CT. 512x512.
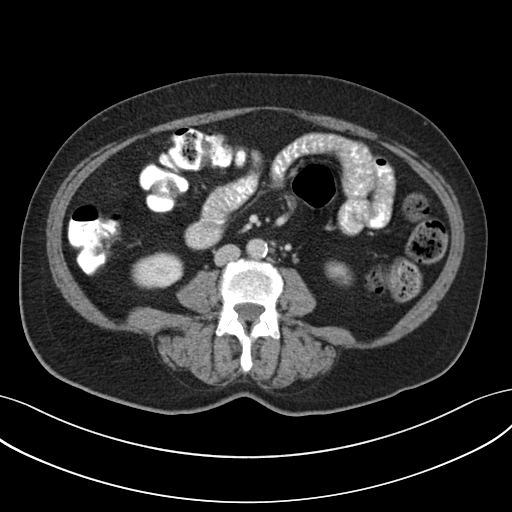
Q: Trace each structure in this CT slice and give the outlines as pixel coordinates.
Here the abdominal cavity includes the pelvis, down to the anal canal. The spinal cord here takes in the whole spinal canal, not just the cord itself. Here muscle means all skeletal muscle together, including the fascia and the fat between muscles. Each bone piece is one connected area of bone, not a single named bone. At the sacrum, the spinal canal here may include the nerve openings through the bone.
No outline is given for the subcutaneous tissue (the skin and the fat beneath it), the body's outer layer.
A: {"torso":[[[241,71],[321,74],[367,86],[422,113],[457,150],[483,202],[487,259],[468,341],[439,377],[379,401],[326,414],[284,415],[239,397],[204,411],[170,415],[66,383],[33,353],[19,310],[20,237],[31,196],[56,151],[86,120],[118,101],[187,78]]],"abdominal_cavity":[[[259,110],[291,113],[394,153],[442,204],[445,262],[383,335],[360,341],[344,327],[303,320],[316,307],[314,294],[295,268],[263,260],[241,257],[220,275],[200,269],[175,292],[191,312],[139,305],[121,321],[72,274],[64,216],[108,158],[162,131]]],"muscle":[{"outer":[[251,106],[287,107],[298,110],[306,110],[309,112],[313,112],[317,114],[322,114],[335,117],[367,128],[371,131],[379,134],[382,137],[396,141],[398,143],[402,144],[411,149],[440,173],[453,190],[461,210],[461,214],[464,223],[464,233],[465,234],[464,251],[460,262],[456,279],[442,304],[423,323],[398,340],[383,346],[375,348],[369,348],[368,349],[360,349],[359,348],[344,349],[341,352],[339,357],[335,361],[331,369],[321,377],[316,377],[306,381],[297,381],[286,387],[275,388],[270,390],[264,389],[259,386],[253,380],[246,376],[241,376],[234,381],[223,386],[215,386],[207,384],[198,379],[189,372],[176,372],[170,369],[166,364],[162,362],[160,355],[142,336],[135,333],[117,332],[113,330],[104,329],[86,320],[65,300],[60,292],[60,290],[56,286],[50,271],[48,257],[46,252],[46,231],[45,229],[51,202],[60,185],[70,171],[78,163],[91,153],[96,151],[101,146],[103,146],[126,135],[166,121],[167,122],[174,119],[204,112],[213,112],[217,110],[250,107]],"hole":[[259,110],[394,153],[442,204],[450,245],[433,283],[370,341],[303,320],[316,298],[280,267],[280,336],[252,342],[245,372],[238,338],[215,333],[218,270],[200,269],[175,292],[191,312],[139,305],[116,321],[76,281],[62,227],[78,188],[126,146]]}],"spinal_cord":[[[242,303],[252,303],[253,304],[256,304],[257,305],[262,306],[263,307],[263,311],[257,317],[257,318],[256,319],[255,319],[251,322],[247,322],[246,321],[241,319],[239,317],[239,315],[235,309],[235,306],[236,305],[237,305],[238,304],[241,304]]],"bones":[{"outer":[[241,258],[271,264],[283,280],[283,289],[276,302],[276,309],[281,315],[280,336],[278,339],[259,336],[252,342],[252,365],[246,372],[240,365],[242,346],[238,338],[228,333],[215,333],[222,306],[219,291],[222,270],[228,263]],"hole":[[242,303],[252,303],[253,304],[256,304],[257,305],[262,306],[263,307],[263,311],[257,317],[257,318],[256,319],[255,319],[251,322],[247,322],[246,321],[241,319],[239,317],[239,315],[235,309],[235,306],[236,305],[237,305],[238,304],[241,304]]}]}